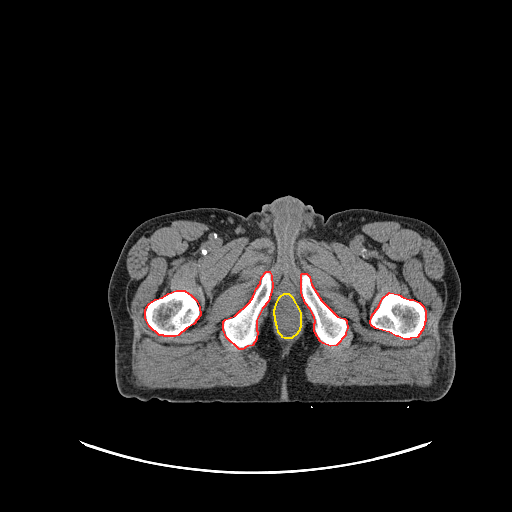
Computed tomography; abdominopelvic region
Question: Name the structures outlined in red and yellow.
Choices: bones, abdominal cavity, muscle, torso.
Answer: red: bones; yellow: abdominal cavity.
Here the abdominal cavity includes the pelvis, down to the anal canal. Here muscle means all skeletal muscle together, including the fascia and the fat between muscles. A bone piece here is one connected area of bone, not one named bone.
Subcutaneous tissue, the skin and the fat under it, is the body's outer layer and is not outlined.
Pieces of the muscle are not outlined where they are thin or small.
Outlines (x, y in pixels):
bones 1: 176 290; 184 290; 191 295; 196 300; 199 306; 200 315; 193 324; 186 328; 178 335; 175 336; 164 336; 163 335; 159 335; 149 326; 146 320; 145 317; 145 310; 146 307; 149 303; 155 299; 162 297; 168 293
bones 2: 389 292; 398 294; 403 297; 409 299; 413 299; 419 302; 423 306; 425 311; 425 321; 424 322; 423 328; 417 337; 410 338; 409 339; 404 339; 398 336; 396 336; 389 332; 375 328; 371 325; 370 322; 371 316; 379 305; 382 298
bones 3: 266 271; 269 271; 271 275; 272 287; 268 301; 262 308; 256 320; 256 330; 257 331; 256 339; 252 345; 247 346; 242 349; 239 349; 226 337; 223 329; 223 321; 225 319; 235 315; 249 302; 253 296; 256 288; 260 283; 261 277
bones 4: 302 273; 306 273; 309 276; 311 284; 321 300; 337 316; 344 318; 346 320; 347 328; 345 332; 345 335; 336 345; 330 346; 323 343; 320 341; 315 333; 314 330; 314 323; 315 322; 314 316; 310 309; 305 303; 301 292; 301 274
abdominal cavity: 284 293; 288 293; 291 296; 300 312; 300 327; 299 328; 299 330; 297 332; 297 333; 291 338; 284 338; 282 337; 282 336; 278 332; 277 326; 276 325; 276 322; 275 321; 275 316; 274 315; 274 309; 275 308; 276 303; 280 296
muscle: 186 218; 233 237; 267 237; 284 255; 291 254; 303 238; 344 239; 369 222; 400 221; 421 229; 435 239; 445 268; 447 298; 438 324; 441 347; 435 381; 424 387; 329 386; 308 381; 304 370; 318 348; 317 338; 336 346; 348 324; 302 272; 300 292; 313 316; 313 330; 307 323; 291 352; 284 354; 268 320; 257 342; 267 366; 258 383; 209 389; 134 385; 125 259; 130 245; 153 225; inner edges: 176 290; 184 290; 191 295; 196 300; 199 306; 200 315; 193 324; 186 328; 178 335; 175 336; 164 336; 163 335; 159 335; 149 326; 146 320; 145 317; 145 310; 146 307; 149 303; 155 299; 162 297; 168 293, then 389 292; 398 294; 403 297; 409 299; 413 299; 419 302; 423 306; 425 311; 425 321; 424 322; 423 328; 417 337; 410 338; 409 339; 404 339; 398 336; 396 336; 389 332; 375 328; 371 325; 370 322; 371 316; 379 305; 382 298, then 266 271; 269 271; 271 275; 272 287; 268 301; 262 308; 256 320; 256 330; 257 331; 256 339; 252 345; 247 346; 242 349; 239 349; 226 337; 223 329; 223 321; 225 319; 235 315; 249 302; 253 296; 256 288; 260 283; 261 277, then 284 293; 288 293; 291 296; 300 312; 300 327; 299 328; 299 330; 297 332; 297 333; 291 338; 284 338; 282 337; 282 336; 278 332; 277 326; 276 325; 276 322; 275 321; 275 316; 274 315; 274 309; 275 308; 276 303; 280 296
torso: 285 195; 297 197; 325 218; 342 210; 367 208; 420 219; 439 233; 461 283; 461 299; 452 326; 455 374; 447 393; 427 402; 312 404; 172 403; 122 396; 115 381; 115 338; 107 291; 131 232; 151 217; 193 208; 222 208; 246 216